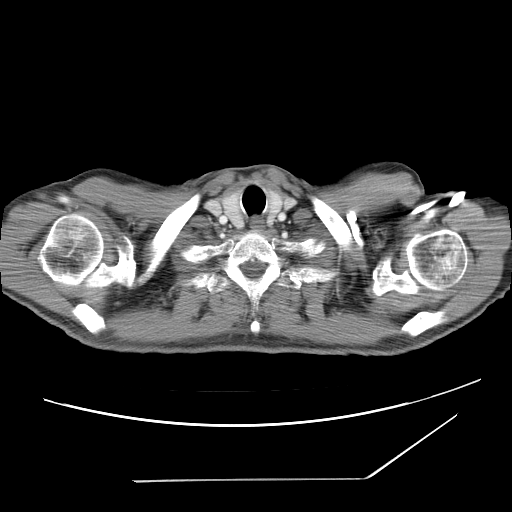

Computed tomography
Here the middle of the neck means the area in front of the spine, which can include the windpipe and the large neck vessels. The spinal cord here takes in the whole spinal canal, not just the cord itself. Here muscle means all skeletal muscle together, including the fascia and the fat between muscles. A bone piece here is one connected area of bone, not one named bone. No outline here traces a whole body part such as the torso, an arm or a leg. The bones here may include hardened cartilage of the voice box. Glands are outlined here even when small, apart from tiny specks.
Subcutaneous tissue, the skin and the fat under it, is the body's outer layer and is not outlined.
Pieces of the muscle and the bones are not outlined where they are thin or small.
muscle: 268,167 315,188 344,184 360,173 404,171 419,187 420,203 451,203 468,198 499,208 511,232 501,278 482,302 455,320 443,323 447,319 443,309 422,309 399,329 413,337 388,337 372,345 315,343 262,333 165,343 118,342 91,337 74,321 4,284 0,273 0,238 9,211 21,202 69,191 86,178 98,175 161,190 202,184 226,170 247,175 with holes at 248,182 293,202 283,221 260,233 269,240 325,243 311,257 278,250 287,265 336,270 333,278 299,289 275,281 257,309 234,282 217,292 182,284 215,270 223,257 194,263 181,250 245,232 220,227 207,207 and at 71,213 91,220 98,228 103,238 101,260 109,266 118,261 116,245 124,244 121,237 130,239 136,263 136,276 130,288 117,282 101,287 87,287 83,283 66,285 54,281 43,271 37,257 46,235 57,218 and at 442,228 457,232 467,249 467,266 456,283 442,290 422,288 415,294 403,294 395,290 380,296 373,293 372,272 379,260 386,255 391,256 392,271 396,274 402,273 408,268 405,252 408,241 415,234 425,235 and at 196,193 199,193 201,195 198,207 181,228 177,236 165,254 163,259 160,262 152,275 146,281 143,283 140,283 138,278 145,270 149,262 149,258 150,257 149,256 149,245 157,230 165,218 172,210 182,204 and at 311,195 314,195 323,200 335,210 344,221 346,225 350,229 350,234 351,235 352,241 350,244 350,248 348,250 341,250 340,249 339,245 336,242 335,239 327,227 316,214 313,209 313,206 310,200 310,196 and at 79,303 86,303 87,304 88,304 90,306 91,306 100,315 101,315 103,317 103,319 104,320 104,322 105,323 105,328 103,330 100,331 96,334 94,334 93,333 90,332 71,312 71,310 77,304 78,304 and at 255,318 256,319 257,319 257,320 259,322 259,331 257,333 253,333 251,331 251,330 250,329 250,324 252,322 252,321
bones 1: 250,230 269,240 322,240 325,248 311,257 277,252 288,266 338,273 327,281 303,282 299,289 275,281 257,309 234,282 217,292 183,285 200,272 215,270 223,257 194,263 184,259 181,250 192,244 217,245 with a hole at 255,260 257,260 258,261 260,261 261,262 263,262 265,263 266,264 266,266 262,274 259,277 252,279 251,278 249,278 247,277 243,273 240,267 240,265 248,261 250,262 254,262
bones 2: 71,213 91,220 98,228 103,238 101,260 109,266 118,261 116,245 124,244 121,237 130,239 136,263 136,276 130,288 117,282 101,287 87,287 83,283 66,285 54,281 43,271 37,257 46,235 57,218
bones 3: 442,228 457,232 467,249 467,266 456,283 442,290 422,288 415,294 403,294 395,290 380,296 373,293 372,272 379,260 386,255 391,256 392,271 396,274 402,273 408,268 405,252 408,241 415,234 425,235
bones 4: 196,193 199,193 201,195 198,207 181,228 177,236 165,254 163,259 160,262 152,275 146,281 143,283 140,283 138,278 145,270 149,262 149,258 150,257 149,256 149,245 157,230 165,218 172,210 182,204
bones 5: 311,195 314,195 323,200 335,210 344,221 346,225 350,229 350,234 351,235 352,241 350,244 350,248 348,250 341,250 340,249 339,245 336,242 335,239 327,227 316,214 313,209 313,206 310,200 310,196
bones 6: 422,310 424,310 425,311 431,311 432,312 433,311 443,310 445,312 445,316 446,317 445,321 440,324 435,325 423,331 421,333 415,336 410,336 407,333 401,332 400,331 400,329 402,325 414,314
bones 7: 79,303 86,303 87,304 88,304 90,306 91,306 100,315 101,315 103,317 103,319 104,320 104,322 105,323 105,328 103,330 100,331 96,334 94,334 93,333 90,332 71,312 71,310 77,304 78,304
spinal cord: 255,260 257,260 258,261 260,261 261,262 263,262 265,263 266,264 266,266 262,274 259,277 252,279 251,278 249,278 247,277 243,273 240,267 240,265 248,261 250,262 254,262
middle of the neck: 248,182 265,186 263,190 266,196 268,224 280,211 283,199 291,200 293,205 285,212 285,218 259,231 234,231 220,227 208,212 208,204 220,201 230,222 237,228 241,227 244,223 240,207 242,190 238,188
thyroid glands 1: 237,189 240,189 241,190 241,193 239,198 239,205 240,206 239,207 240,208 240,213 242,216 242,219 243,220 242,225 239,227 235,226 231,222 228,216 224,211 222,205 222,202 221,201 222,198
thyroid glands 2: 264,188 270,188 274,190 276,192 277,192 281,196 282,198 282,203 281,204 281,207 279,211 276,214 276,215 270,223 268,223 267,222 267,214 268,213 267,212 267,196 264,190